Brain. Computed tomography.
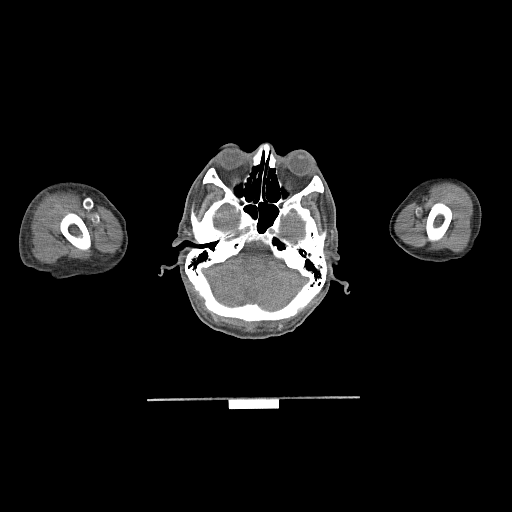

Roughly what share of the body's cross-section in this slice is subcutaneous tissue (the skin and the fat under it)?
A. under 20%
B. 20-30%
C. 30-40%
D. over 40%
B. 20-30%
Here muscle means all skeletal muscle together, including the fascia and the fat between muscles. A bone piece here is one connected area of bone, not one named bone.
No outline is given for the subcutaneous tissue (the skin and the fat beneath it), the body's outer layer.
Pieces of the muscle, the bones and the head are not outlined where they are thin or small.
The bones appear in 3 outlined pieces: piece 1: (262, 143) (273, 148) (283, 185) (271, 168) (264, 201) (244, 209) (254, 218) (258, 212) (262, 232) (278, 213) (273, 203) (319, 176) (323, 192) (312, 191) (300, 203) (318, 229) (326, 229) (327, 273) (320, 291) (295, 315) (246, 321) (207, 309) (184, 263) (194, 240) (192, 204) (200, 219) (224, 195) (221, 187) (202, 183) (205, 173) (214, 167) (238, 197) (256, 203) (261, 176) (255, 184) (252, 180) (266, 162) (252, 168) (244, 188) (240, 183); inner edges: (252, 242) (262, 243) (267, 247) (274, 258) (281, 260) (288, 268) (296, 270) (306, 279) (296, 293) (284, 305) (278, 308) (266, 309) (256, 302) (245, 302) (236, 305) (223, 303) (215, 296) (210, 282) (203, 271) (210, 266) (237, 256) (244, 249) (246, 244), then (291, 211) (294, 211) (295, 212) (296, 215) (303, 222) (303, 235) (301, 237) (299, 237) (296, 240) (296, 241) (295, 242) (293, 242) (284, 235) (282, 235) (282, 234) (281, 233) (282, 232) (281, 231) (281, 224) (282, 223) (282, 218) (287, 216) (291, 212), then (226, 204) (231, 206) (233, 208) (233, 211) (236, 214) (237, 213) (238, 214) (238, 219) (237, 220) (237, 223) (236, 224) (236, 226) (235, 228) (228, 228) (227, 229) (222, 229) (215, 225) (215, 218) (220, 215) (218, 214) (218, 210) (222, 206); piece 2: (69, 212) (72, 212) (73, 213) (75, 213) (77, 214) (83, 220) (88, 230) (88, 232) (90, 236) (91, 245) (90, 247) (86, 250) (81, 250) (77, 248) (75, 246) (74, 246) (62, 234) (60, 230) (60, 221) (61, 219) (66, 214) (67, 214); piece 3: (437, 202) (441, 202) (447, 205) (451, 209) (451, 211) (452, 212) (452, 217) (451, 218) (450, 223) (446, 231) (444, 233) (442, 237) (440, 239) (436, 241) (429, 241) (428, 240) (428, 238) (427, 237) (427, 234) (426, 233) (426, 222) (427, 221) (427, 216) (433, 204). The left arm is outlined by (439, 175) (446, 175) (458, 178) (465, 182) (475, 192) (481, 207) (481, 225) (479, 233) (474, 242) (473, 248) (467, 255) (461, 258) (452, 259) (443, 262) (424, 261) (406, 253) (395, 243) (389, 233) (388, 227) (389, 221) (391, 215) (396, 207) (417, 184) (430, 177). The head is outlined by (228, 143) (246, 151) (268, 143) (277, 154) (309, 152) (335, 204) (340, 258) (333, 273) (347, 283) (332, 280) (304, 321) (282, 335) (243, 339) (209, 327) (195, 313) (179, 268) (161, 268) (172, 265) (180, 249) (193, 245) (188, 241) (172, 245) (188, 190) (216, 150), around holes outlined by (271, 169) (274, 170) (278, 187) (285, 192) (285, 196) (281, 196) (272, 203) (277, 209) (277, 213) (271, 223) (260, 231) (258, 227) (259, 212) (254, 217) (245, 208) (248, 205) (258, 207) (260, 203) (265, 201) (265, 179) (267, 178) (270, 185) (272, 185) (269, 174) and by (262, 161) (265, 162) (265, 165) (261, 170) (258, 169) (255, 172) (254, 177) (251, 180) (251, 183) (252, 184) (253, 182) (255, 185) (256, 180) (260, 176) (258, 200) (256, 202) (247, 200) (244, 195) (238, 196) (234, 189) (239, 185) (244, 189) (253, 168) (258, 166). The brain appears in 3 outlined pieces: piece 1: (252, 242) (262, 243) (267, 247) (274, 258) (281, 260) (288, 268) (296, 270) (306, 279) (296, 293) (284, 305) (278, 308) (266, 309) (256, 302) (245, 302) (236, 305) (223, 303) (215, 296) (210, 282) (203, 271) (210, 266) (237, 256) (244, 249) (246, 244); piece 2: (291, 211) (294, 211) (295, 212) (296, 215) (303, 222) (303, 235) (301, 237) (299, 237) (296, 240) (296, 241) (295, 242) (293, 242) (284, 235) (282, 235) (282, 234) (281, 233) (282, 232) (281, 231) (281, 224) (282, 223) (282, 218) (287, 216) (291, 212); piece 3: (226, 204) (231, 206) (233, 208) (233, 211) (236, 214) (237, 213) (238, 214) (238, 219) (237, 220) (237, 223) (236, 224) (236, 226) (235, 228) (228, 228) (227, 229) (222, 229) (215, 225) (215, 218) (220, 215) (218, 214) (218, 210) (222, 206). The right arm is outlined by (60, 181) (75, 181) (86, 183) (96, 187) (109, 199) (124, 217) (126, 221) (126, 229) (128, 236) (127, 249) (120, 263) (113, 269) (98, 274) (76, 275) (56, 279) (47, 272) (38, 271) (22, 263) (18, 251) (18, 235) (24, 212) (32, 198) (42, 188) (52, 183). The muscle appears in 5 outlined pieces: piece 1: (68, 190) (73, 190) (78, 193) (84, 191) (97, 197) (99, 203) (110, 210) (117, 218) (122, 230) (122, 241) (120, 249) (113, 255) (105, 259) (92, 256) (88, 259) (83, 260) (63, 256) (54, 264) (41, 263) (32, 255) (30, 243) (30, 225) (33, 211) (47, 193) with a hole at (69, 212) (72, 212) (73, 213) (75, 213) (77, 214) (83, 220) (88, 230) (88, 232) (90, 236) (91, 245) (90, 247) (86, 250) (81, 250) (77, 248) (75, 246) (74, 246) (62, 234) (60, 230) (60, 221) (61, 219) (66, 214) (67, 214); piece 2: (445, 181) (459, 185) (469, 194) (471, 198) (473, 204) (473, 215) (471, 220) (471, 234) (467, 246) (460, 252) (454, 252) (449, 249) (428, 250) (425, 247) (416, 248) (406, 244) (400, 239) (394, 230) (394, 224) (398, 214) (409, 203) (421, 195) (426, 194) (431, 185), around a hole outlined by (437, 202) (441, 202) (447, 205) (451, 209) (451, 211) (452, 212) (452, 217) (451, 218) (450, 223) (446, 231) (444, 233) (442, 237) (440, 239) (436, 241) (429, 241) (428, 240) (428, 238) (427, 237) (427, 234) (426, 233) (426, 222) (427, 221) (427, 216) (433, 204); piece 3: (188, 280) (193, 286) (193, 288) (203, 299) (204, 305) (207, 310) (218, 316) (239, 319) (246, 322) (277, 321) (295, 316) (300, 310) (303, 309) (319, 294) (301, 315) (289, 325) (279, 329) (251, 332) (250, 331) (243, 331) (227, 326) (218, 325) (206, 317) (196, 301); piece 4: (325, 189) (325, 193) (328, 200) (327, 206) (329, 217) (329, 230) (331, 235) (331, 244) (329, 245) (327, 255) (324, 249) (324, 242) (327, 234) (327, 229) (323, 228) (320, 230) (310, 210) (307, 207) (303, 206) (301, 203) (301, 200) (304, 196) (312, 192) (322, 194); piece 5: (200, 181) (201, 181) (201, 183) (203, 185) (211, 183) (221, 188) (223, 191) (223, 195) (221, 198) (214, 200) (208, 206) (203, 213) (202, 216) (200, 218) (198, 218) (195, 213) (194, 203) (193, 202) (192, 203) (192, 200) (194, 196) (194, 193) (195, 192) (196, 187).